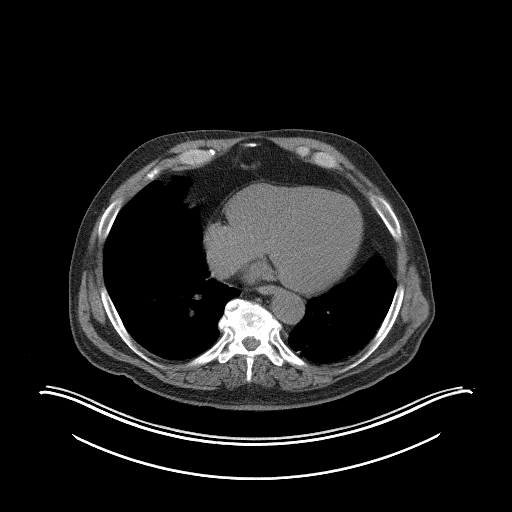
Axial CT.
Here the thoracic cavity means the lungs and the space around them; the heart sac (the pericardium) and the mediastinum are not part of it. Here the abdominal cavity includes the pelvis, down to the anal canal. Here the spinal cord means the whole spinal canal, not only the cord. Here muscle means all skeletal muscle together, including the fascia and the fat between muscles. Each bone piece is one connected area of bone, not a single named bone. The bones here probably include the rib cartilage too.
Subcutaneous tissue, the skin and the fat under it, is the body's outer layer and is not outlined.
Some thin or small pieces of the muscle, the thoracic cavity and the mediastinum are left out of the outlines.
{"thoracic_cavity":[[[176,177],[188,178],[190,182],[181,201],[188,209],[198,211],[207,278],[239,291],[237,297],[224,305],[217,322],[221,332],[217,340],[186,360],[157,356],[132,338],[108,292],[103,272],[104,243],[121,208],[149,182],[155,179],[170,186]],[[374,256],[378,256],[384,261],[389,268],[391,277],[396,280],[397,283],[390,305],[374,335],[362,349],[346,359],[331,363],[313,363],[306,361],[288,346],[288,334],[304,317],[308,301],[312,297],[319,296],[339,283],[344,282]]],"bones":[{"outer":[[234,298],[257,303],[269,311],[281,325],[280,338],[284,345],[307,366],[286,361],[278,366],[259,354],[254,357],[250,381],[246,379],[246,357],[242,354],[235,354],[224,363],[213,359],[187,366],[188,361],[209,349],[221,336],[218,322],[225,305]],"hole":[[247,337],[253,337],[256,340],[258,340],[259,341],[259,344],[255,348],[254,348],[253,349],[248,349],[243,344],[243,340],[245,338],[246,338]]},[[398,284],[401,284],[403,286],[404,289],[403,298],[395,320],[386,336],[377,348],[367,358],[356,366],[345,371],[339,372],[342,368],[355,361],[366,351],[370,341],[375,335],[387,314],[387,312],[391,305]],[[103,285],[105,286],[107,290],[107,292],[125,329],[130,335],[136,346],[148,357],[161,364],[163,366],[162,368],[161,367],[158,367],[140,357],[122,340],[111,323],[106,313],[105,308],[103,305],[103,303],[101,299],[101,294],[100,293],[100,289]],[[369,193],[373,193],[376,195],[382,196],[391,206],[394,213],[396,215],[401,230],[401,237],[398,240],[394,240],[393,239],[390,233],[388,231],[388,229],[386,227],[384,222],[376,212],[374,208],[370,204],[368,200],[368,194]],[[194,148],[198,148],[199,149],[208,149],[209,148],[211,148],[213,149],[215,151],[215,155],[209,162],[199,166],[181,165],[180,164],[176,164],[175,163],[172,163],[170,165],[167,165],[167,161],[169,159],[171,159],[175,157],[184,150],[193,149]],[[299,146],[307,146],[311,150],[312,152],[314,151],[324,151],[325,152],[327,152],[333,155],[335,157],[339,165],[336,168],[327,168],[326,167],[323,167],[322,166],[314,164],[310,162],[310,157],[309,156],[300,157],[295,153],[295,150],[296,148]],[[120,197],[121,197],[123,199],[122,206],[117,213],[112,223],[112,225],[109,230],[109,232],[106,238],[104,240],[100,239],[98,237],[98,235],[97,234],[97,230],[98,229],[98,225],[99,224],[100,219],[104,211],[106,209],[108,205],[111,202]],[[157,165],[159,165],[160,166],[161,166],[162,167],[162,170],[159,173],[159,174],[157,176],[156,176],[155,177],[155,178],[154,179],[153,179],[151,181],[149,181],[147,179],[146,179],[145,178],[145,175],[147,172],[148,172],[153,167],[154,167]]],"muscle":[[[104,208],[96,230],[97,237],[104,241],[104,284],[99,289],[102,305],[121,340],[136,355],[158,368],[164,366],[144,353],[136,343],[165,360],[189,360],[185,364],[187,367],[204,365],[213,360],[224,364],[235,355],[242,355],[245,357],[247,382],[252,379],[252,366],[259,355],[266,356],[278,367],[285,362],[307,367],[307,362],[331,364],[346,360],[367,345],[359,357],[338,371],[342,373],[356,367],[387,336],[404,298],[404,286],[396,279],[394,241],[402,237],[402,230],[394,210],[406,229],[429,313],[396,353],[363,371],[321,388],[288,391],[254,383],[233,389],[223,386],[218,389],[176,386],[101,351],[80,326],[77,306],[82,272],[86,268],[91,232]],[[258,135],[275,137],[277,136],[308,137],[332,145],[347,157],[379,188],[389,200],[393,209],[390,203],[382,195],[369,192],[367,194],[367,199],[354,182],[345,173],[336,169],[340,164],[333,154],[324,150],[312,151],[307,145],[297,146],[293,153],[265,137],[240,140],[223,155],[214,159],[213,159],[216,155],[216,151],[211,147],[208,148],[194,147],[184,149],[175,156],[169,158],[166,161],[166,165],[170,166],[172,164],[175,164],[190,167],[173,167],[163,170],[163,167],[157,164],[145,173],[144,178],[148,182],[123,205],[124,199],[121,196],[114,199],[108,204],[111,195],[121,183],[150,161],[155,159],[178,143],[187,140],[196,139],[234,138],[241,136]]],"torso":[[[280,128],[327,131],[356,141],[374,157],[408,206],[426,252],[435,302],[433,321],[414,357],[376,384],[345,397],[312,406],[263,411],[179,402],[148,391],[124,375],[93,366],[72,337],[68,274],[82,218],[107,178],[131,151],[160,135],[196,129]]],"mediastinum":[[[292,154],[338,170],[353,182],[393,240],[395,279],[374,255],[338,283],[360,254],[367,228],[357,197],[326,183],[251,179],[221,200],[201,237],[198,209],[182,201],[190,179],[176,176],[166,185],[156,179],[160,173],[199,167],[222,156],[252,168]],[[224,283],[235,287],[243,287],[244,288],[256,288],[263,286],[284,286],[304,298],[310,298],[305,305],[305,312],[303,317],[287,334],[287,345],[285,345],[285,341],[281,338],[282,330],[281,323],[276,319],[269,310],[257,302],[238,297],[240,291],[239,290],[236,287]]],"abdominal_cavity":[[[262,138],[268,139],[281,148],[292,153],[286,157],[280,157],[275,159],[271,158],[268,160],[261,162],[255,166],[252,167],[246,167],[239,164],[233,157],[230,157],[229,155],[224,155],[232,147],[240,141],[248,140],[249,139],[261,139]]],"spinal_cord":[[[247,337],[253,337],[256,340],[258,340],[259,341],[259,344],[255,348],[254,348],[253,349],[248,349],[243,344],[243,340],[245,338],[246,338]]],"pericardium":[[[260,178],[285,183],[326,184],[349,191],[358,200],[364,214],[366,228],[365,240],[349,271],[337,283],[326,291],[311,297],[304,297],[284,285],[263,285],[256,287],[235,286],[220,281],[210,275],[202,242],[204,228],[208,219],[230,192],[251,180]]]}